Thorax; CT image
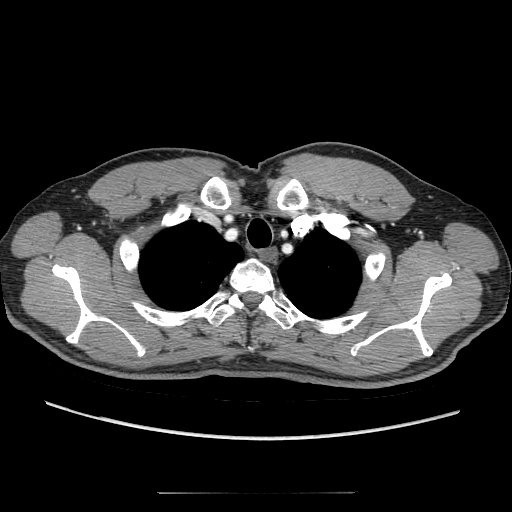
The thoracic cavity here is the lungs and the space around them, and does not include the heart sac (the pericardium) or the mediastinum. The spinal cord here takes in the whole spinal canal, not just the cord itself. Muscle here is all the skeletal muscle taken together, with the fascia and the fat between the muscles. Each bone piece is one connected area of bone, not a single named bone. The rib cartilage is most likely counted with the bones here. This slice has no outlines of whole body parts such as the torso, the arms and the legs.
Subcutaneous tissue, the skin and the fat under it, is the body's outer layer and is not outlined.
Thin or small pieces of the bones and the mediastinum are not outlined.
The mediastinum is outlined by 254 208; 260 208; 266 212; 282 216; 296 214; 311 216; 322 224; 320 223; 311 229; 295 250; 278 265; 273 273; 270 267; 257 257; 251 256; 246 258; 244 250; 239 243; 225 239; 213 226; 192 217; 204 212; 219 214; 253 210. The spinal cord is outlined by 249 291; 251 291; 252 292; 256 292; 257 293; 258 293; 260 295; 261 295; 261 300; 256 306; 256 307; 255 307; 254 308; 249 308; 248 307; 247 307; 245 305; 245 304; 241 299; 241 295; 243 293; 245 293; 246 292; 248 292. The muscle is outlined by 303 152; 356 158; 393 174; 416 200; 395 227; 402 247; 440 241; 451 222; 474 226; 493 242; 499 266; 483 278; 478 317; 434 353; 422 319; 433 295; 451 285; 446 271; 426 278; 415 314; 349 349; 355 357; 379 336; 409 330; 423 358; 397 371; 363 377; 251 353; 142 369; 93 359; 73 345; 91 322; 121 332; 138 358; 146 347; 125 327; 87 305; 80 275; 71 265; 51 267; 68 283; 79 309; 73 330; 64 338; 20 305; 23 264; 10 249; 17 229; 29 217; 53 210; 65 234; 82 232; 107 248; 114 238; 109 219; 86 194; 110 170; 144 160; 201 156; 224 161; 229 176; 256 181; 275 177; 282 159 with holes at 180 202; 196 207; 190 217; 260 208; 282 216; 311 216; 320 222; 322 217; 331 218; 350 232; 350 244; 362 263; 371 253; 381 251; 386 256; 373 281; 360 273; 357 294; 346 312; 369 309; 368 314; 353 329; 334 335; 309 322; 283 329; 264 313; 252 324; 238 310; 216 327; 203 317; 174 326; 147 321; 129 301; 158 306; 124 266; 119 242; 131 239; 142 249; 159 231; 163 215 and at 213 176; 218 176; 226 180; 227 183; 229 185; 231 189; 231 196; 230 197; 230 203; 231 204; 230 206; 229 206; 226 209; 217 209; 216 208; 211 208; 203 204; 199 199; 199 192; 202 186; 210 178; 211 178 and at 292 178; 294 178; 298 180; 300 182; 302 186; 306 190; 308 194; 308 204; 306 205; 302 210; 298 210; 297 211; 282 210; 277 206; 277 202; 276 201; 276 199; 278 197; 278 192; 282 188; 289 184; 291 182; 291 179 and at 249 344; 250 344; 251 345; 252 345; 253 346; 254 346; 255 347; 255 348; 254 349; 254 350; 253 351; 252 351; 251 351; 250 351; 249 351; 248 350; 248 349; 247 348; 247 347; 247 346; 248 345. The bones appear in 9 outlined pieces: piece 1: 251 257; 269 267; 288 299; 310 317; 329 319; 365 309; 368 314; 353 329; 334 335; 309 322; 283 329; 264 313; 252 324; 238 310; 216 327; 203 317; 174 326; 147 321; 131 305; 131 299; 152 308; 190 310; 213 295; 238 262 with a hole at 249 291; 251 291; 252 292; 256 292; 257 293; 258 293; 260 295; 261 295; 261 300; 256 306; 256 307; 255 307; 254 308; 249 308; 248 307; 247 307; 245 305; 245 304; 241 299; 241 295; 243 293; 245 293; 246 292; 248 292; piece 2: 446 272; 452 280; 450 285; 440 288; 432 295; 429 306; 421 319; 423 335; 433 349; 430 356; 422 356; 419 343; 409 329; 389 330; 362 346; 355 356; 351 354; 350 349; 355 343; 386 326; 408 320; 415 315; 427 278; 440 276; piece 3: 54 264; 71 266; 76 269; 86 305; 94 313; 106 316; 125 328; 145 347; 145 353; 142 356; 136 355; 135 348; 121 331; 103 321; 89 322; 80 333; 76 344; 66 341; 66 335; 74 330; 78 322; 80 309; 69 283; 53 273; piece 4: 213 176; 218 176; 226 180; 227 183; 229 185; 231 189; 231 196; 230 197; 230 203; 231 204; 230 206; 229 206; 226 209; 217 209; 216 208; 211 208; 203 204; 199 199; 199 192; 202 186; 210 178; 211 178; piece 5: 292 178; 294 178; 298 180; 300 182; 302 186; 306 190; 308 194; 308 204; 306 205; 302 210; 298 210; 297 211; 282 210; 277 206; 277 202; 276 201; 276 199; 278 197; 278 192; 282 188; 289 184; 291 182; 291 179; piece 6: 123 239; 131 239; 134 241; 139 247; 140 250; 139 251; 139 259; 138 260; 138 266; 137 267; 137 272; 138 273; 138 278; 139 279; 138 281; 135 275; 133 273; 129 272; 126 269; 121 260; 119 254; 119 245; 120 244; 119 242; piece 7: 180 202; 183 202; 184 203; 190 203; 194 207; 196 207; 192 209; 189 217; 186 220; 176 225; 170 226; 169 227; 165 227; 164 228; 162 228; 158 230; 158 226; 162 219; 163 215; 168 211; 172 211; 176 207; 177 204; piece 8: 380 251; 383 252; 386 256; 386 258; 385 259; 385 262; 383 266; 383 269; 381 271; 379 275; 373 281; 372 281; 362 271; 362 266; 365 260; 365 258; 369 254; 371 253; 377 253; piece 9: 322 217; 329 217; 331 218; 335 222; 337 226; 341 228; 346 229; 349 232; 350 232; 350 237; 349 238; 350 244; 346 241; 342 240; 330 233; 327 230; 327 229; 324 226; 323 223; 321 221; 320 219. The thoracic cavity appears in 2 outlined pieces: piece 1: 190 217; 210 225; 225 240; 239 244; 243 250; 245 258; 238 261; 233 266; 227 276; 219 284; 217 290; 200 304; 185 310; 165 309; 162 307; 159 307; 154 303; 142 287; 138 272; 140 251; 160 230; 176 226; 186 221; piece 2: 320 224; 330 234; 351 245; 357 252; 359 259; 362 263; 360 282; 357 294; 352 305; 347 310; 346 313; 329 318; 313 317; 299 309; 286 295; 283 288; 278 283; 278 281; 276 280; 273 274; 279 265; 296 250; 304 237; 311 230.